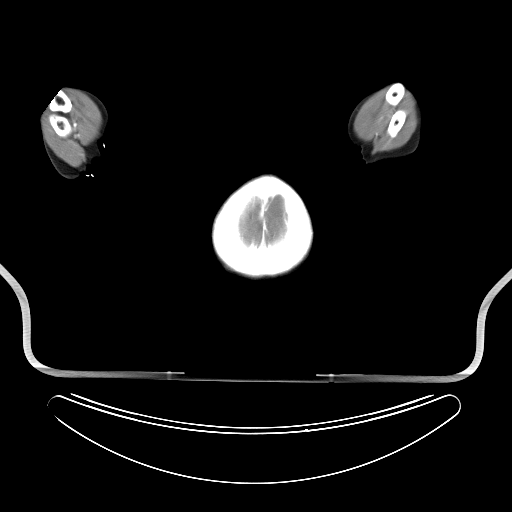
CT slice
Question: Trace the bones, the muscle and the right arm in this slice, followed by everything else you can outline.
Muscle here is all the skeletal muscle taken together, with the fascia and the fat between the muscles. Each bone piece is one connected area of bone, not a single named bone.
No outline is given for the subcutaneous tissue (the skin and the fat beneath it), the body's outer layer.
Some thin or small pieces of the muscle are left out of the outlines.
Answer: Outlines:
bones 1: [[265,173],[275,174],[277,176],[279,176],[289,183],[300,194],[303,198],[311,216],[314,230],[314,237],[312,245],[305,258],[291,270],[285,273],[273,276],[251,277],[231,270],[220,261],[212,247],[210,232],[213,218],[218,208],[227,196],[250,178]] with holes at [[276,196],[279,196],[282,200],[282,207],[283,208],[283,228],[284,229],[283,231],[282,231],[275,239],[268,242],[266,240],[266,237],[265,236],[265,234],[267,231],[267,224],[266,223],[266,219],[265,218],[265,212],[268,208],[269,200],[274,198]] and at [[257,203],[259,205],[258,217],[259,219],[261,220],[262,232],[261,233],[259,242],[257,243],[253,239],[248,242],[245,239],[243,235],[241,229],[241,224],[242,223],[242,220],[243,220],[246,216],[248,210],[252,206],[254,206],[255,204]]
bones 2: [[60,90],[63,90],[69,97],[72,106],[71,110],[66,113],[64,113],[63,115],[67,118],[68,121],[72,125],[74,123],[76,124],[72,128],[72,131],[68,135],[64,137],[62,137],[56,133],[48,120],[48,116],[51,111],[47,107],[54,96]]
bones 3: [[400,108],[401,109],[404,109],[406,111],[407,113],[406,114],[406,117],[405,118],[405,120],[402,126],[400,128],[396,135],[394,137],[391,137],[387,133],[387,128],[388,127],[388,125],[389,124],[389,122],[391,119],[392,115],[397,109],[399,109]]
bones 4: [[394,82],[400,82],[401,83],[402,83],[405,86],[405,91],[404,92],[404,94],[403,95],[402,98],[396,106],[394,106],[393,105],[390,104],[387,101],[386,101],[386,99],[385,98],[385,95],[386,94],[386,92],[387,91],[389,86]]
muscle 1: [[387,87],[388,87],[384,95],[385,101],[394,107],[396,107],[399,104],[403,98],[406,90],[411,94],[415,101],[418,121],[415,131],[410,139],[403,146],[392,150],[380,151],[372,154],[371,146],[356,135],[353,127],[354,120],[363,103],[373,94]], around a hole outlined by [[400,108],[401,109],[404,109],[406,111],[407,113],[406,114],[406,117],[405,118],[405,120],[402,126],[400,128],[396,135],[394,137],[391,137],[387,133],[387,128],[388,127],[388,125],[389,124],[389,122],[391,119],[392,115],[397,109],[399,109]]
muscle 2: [[66,89],[85,93],[101,113],[98,133],[85,148],[86,161],[79,167],[69,166],[58,158],[44,137],[42,116],[46,108],[50,111],[47,120],[58,136],[62,138],[68,136],[77,124],[75,122],[72,124],[64,115],[70,112],[73,106],[64,90]]
right arm: [[64,86],[82,88],[93,93],[102,101],[109,116],[108,125],[103,136],[103,144],[102,142],[98,144],[100,151],[99,159],[87,168],[85,174],[82,174],[74,179],[63,177],[52,165],[43,145],[39,123],[40,117],[44,110],[54,96]]
head: [[264,173],[272,173],[279,176],[289,183],[303,198],[311,216],[313,224],[314,230],[313,245],[311,253],[307,261],[298,271],[292,275],[275,280],[248,281],[225,273],[220,269],[212,253],[210,232],[213,218],[218,208],[227,196],[250,178]]
left arm: [[392,82],[400,82],[411,89],[415,94],[419,102],[422,117],[419,144],[417,148],[411,154],[407,156],[399,158],[385,159],[372,163],[365,163],[361,156],[360,148],[357,145],[352,143],[348,137],[347,134],[348,119],[356,104],[364,96],[385,84]]
brain 1: [[276,196],[279,196],[282,200],[282,207],[283,208],[283,228],[284,229],[283,231],[282,231],[275,239],[268,242],[266,240],[266,237],[265,236],[265,234],[267,231],[267,224],[266,223],[266,219],[265,218],[265,212],[268,208],[269,200],[274,198]]
brain 2: [[257,203],[259,205],[258,217],[259,219],[261,220],[262,232],[261,233],[259,242],[257,243],[253,239],[248,242],[245,239],[243,235],[241,229],[241,224],[242,223],[242,220],[243,220],[246,216],[248,210],[252,206],[254,206],[255,204]]